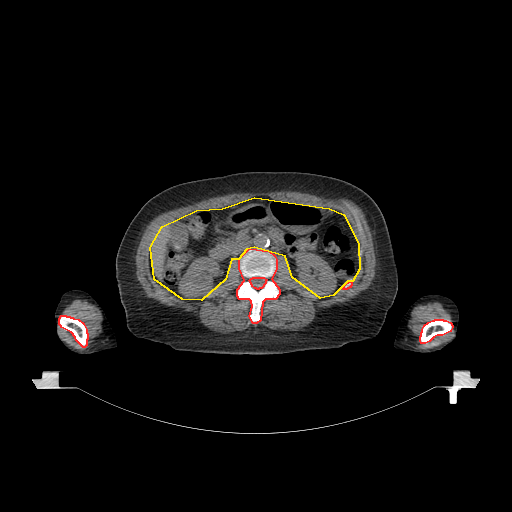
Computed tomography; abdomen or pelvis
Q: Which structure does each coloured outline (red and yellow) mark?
A: red: bones; yellow: abdominal cavity.
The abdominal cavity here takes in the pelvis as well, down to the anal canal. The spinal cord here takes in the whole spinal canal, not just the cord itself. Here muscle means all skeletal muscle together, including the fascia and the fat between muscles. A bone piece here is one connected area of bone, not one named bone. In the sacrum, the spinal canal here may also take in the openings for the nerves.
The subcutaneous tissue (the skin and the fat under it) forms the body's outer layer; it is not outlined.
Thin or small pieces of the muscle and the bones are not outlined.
The bones appear in 4 outlined pieces: piece 1: [[249,248],[269,251],[274,255],[276,259],[276,269],[271,278],[279,289],[279,294],[275,299],[265,299],[262,302],[260,320],[256,323],[253,323],[249,316],[252,306],[251,301],[249,299],[239,299],[237,296],[237,289],[244,280],[239,268],[239,258]]; inner edge: [[253,277],[263,277],[266,279],[266,280],[265,281],[265,283],[263,285],[263,286],[261,288],[259,288],[258,289],[257,289],[256,288],[255,288],[252,286],[252,285],[251,284],[251,283],[249,280],[251,278],[252,278]]; piece 2: [[61,315],[65,315],[66,316],[69,316],[70,317],[72,317],[73,318],[78,319],[83,323],[86,329],[86,332],[87,333],[87,339],[86,340],[86,345],[84,347],[83,347],[76,340],[75,337],[71,332],[61,327],[61,326],[59,324],[59,318]]; piece 3: [[435,319],[442,319],[443,320],[446,320],[450,322],[452,325],[452,327],[450,331],[442,335],[437,335],[433,337],[429,341],[425,343],[421,343],[420,341],[420,336],[421,335],[421,332],[422,331],[422,329],[424,325],[428,322],[432,320],[434,320]]; piece 4: [[349,281],[350,281],[351,281],[351,282],[351,283],[351,284],[351,285],[350,286],[350,287],[349,287],[348,288],[347,288],[346,289],[345,289],[344,289],[343,289],[343,288],[343,287],[344,286],[344,285],[345,284],[346,283],[347,282],[348,282]]. The abdominal cavity is outlined by [[254,197],[329,208],[343,214],[358,243],[359,269],[352,281],[347,281],[333,295],[320,298],[292,277],[285,256],[254,247],[246,249],[238,259],[231,259],[225,279],[201,300],[182,299],[154,279],[150,247],[162,226],[196,210],[222,208]]. The left arm is outlined by [[427,294],[440,294],[444,295],[450,298],[456,304],[459,312],[459,320],[457,325],[456,336],[454,340],[442,349],[431,353],[419,353],[418,352],[407,351],[395,348],[393,346],[393,341],[401,318],[406,312],[409,306],[416,299],[423,295]]. The right arm is outlined by [[72,289],[80,289],[88,292],[101,305],[105,312],[107,319],[114,331],[116,341],[117,342],[117,345],[115,347],[91,354],[77,354],[70,351],[62,344],[56,334],[56,325],[55,324],[55,319],[54,318],[54,312],[62,294],[66,291]]. The torso is outlined by [[245,171],[300,171],[327,175],[356,185],[376,202],[384,216],[392,242],[398,272],[398,289],[385,321],[375,337],[347,343],[335,349],[284,354],[220,354],[176,350],[166,344],[138,338],[129,331],[115,278],[115,257],[132,218],[148,199],[170,186]]. The muscle appears in 3 outlined pieces: piece 1: [[282,190],[332,199],[344,198],[361,208],[373,231],[376,257],[375,276],[367,289],[349,301],[323,309],[301,330],[279,331],[255,325],[261,320],[263,302],[275,300],[280,294],[272,278],[277,269],[276,256],[285,257],[291,277],[320,299],[333,296],[341,288],[346,290],[351,287],[359,273],[362,256],[351,225],[339,210],[254,196],[222,207],[196,209],[176,217],[159,228],[149,247],[149,269],[153,279],[188,302],[201,301],[206,293],[222,283],[227,277],[231,260],[237,259],[243,280],[236,289],[236,296],[239,300],[250,301],[248,316],[252,323],[242,331],[222,334],[203,325],[190,312],[166,306],[145,295],[136,277],[135,255],[145,227],[155,216],[215,196]]; piece 2: [[75,299],[85,299],[95,305],[99,309],[102,316],[101,333],[96,341],[89,348],[83,350],[75,349],[68,345],[62,339],[58,328],[58,324],[62,329],[71,333],[75,340],[83,348],[87,345],[88,333],[84,323],[78,318],[61,314],[65,307]]; piece 3: [[428,302],[441,303],[449,312],[452,322],[442,318],[428,321],[421,329],[419,336],[420,343],[425,344],[437,336],[445,335],[453,327],[453,332],[450,339],[440,345],[427,349],[418,349],[414,346],[411,339],[408,322],[411,318],[413,308],[419,304]]. The spinal cord is outlined by [[253,277],[263,277],[266,279],[266,280],[265,281],[265,283],[263,285],[263,286],[261,288],[259,288],[258,289],[257,289],[256,288],[255,288],[252,286],[252,285],[251,284],[251,283],[249,280],[251,278],[252,278]].